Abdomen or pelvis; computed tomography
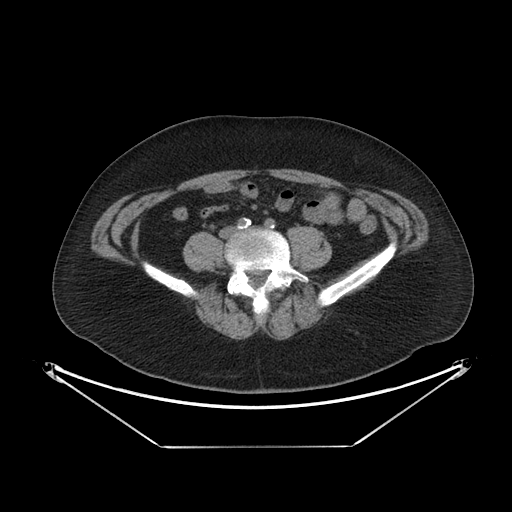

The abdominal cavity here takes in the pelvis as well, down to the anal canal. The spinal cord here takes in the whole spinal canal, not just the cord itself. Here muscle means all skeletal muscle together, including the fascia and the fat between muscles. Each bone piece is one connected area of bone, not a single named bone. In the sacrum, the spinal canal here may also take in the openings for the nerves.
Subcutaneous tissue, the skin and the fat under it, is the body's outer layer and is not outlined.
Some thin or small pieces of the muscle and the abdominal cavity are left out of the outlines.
{"bones":[{"outer":[[251,229],[269,229],[281,233],[289,245],[290,264],[308,277],[307,282],[295,279],[283,290],[276,288],[268,292],[266,294],[268,308],[261,315],[254,312],[251,297],[242,294],[230,294],[227,290],[227,282],[233,268],[226,260],[225,244],[235,233]],"hole":[[253,271],[268,271],[268,274],[267,275],[267,276],[266,277],[266,278],[265,279],[265,280],[264,281],[264,282],[261,285],[260,285],[259,286],[258,286],[257,287],[254,287],[250,283],[250,277],[248,275],[248,272],[252,272]]},[[394,241],[395,241],[397,244],[397,249],[393,257],[376,275],[371,277],[365,282],[347,292],[340,297],[334,303],[330,305],[321,306],[318,303],[317,301],[318,293],[321,289],[325,288],[331,284],[341,280],[363,265],[367,261],[381,251],[389,243]],[[143,260],[146,260],[151,264],[156,266],[158,268],[163,270],[165,272],[169,273],[171,275],[177,278],[180,278],[186,281],[197,291],[197,295],[196,297],[187,297],[178,292],[170,290],[163,284],[152,279],[144,271],[141,265],[141,261]]],"spinal_cord":[[[253,271],[268,271],[268,274],[267,275],[267,276],[266,277],[266,278],[265,279],[265,280],[264,281],[264,282],[261,285],[260,285],[259,286],[258,286],[257,287],[254,287],[250,283],[250,277],[248,275],[248,272],[252,272]]],"abdominal_cavity":[[[258,174],[362,198],[377,213],[387,244],[324,279],[310,272],[330,260],[332,246],[315,227],[291,226],[287,239],[274,229],[251,228],[224,244],[201,230],[189,236],[181,254],[188,268],[205,274],[192,278],[153,264],[138,247],[147,209],[182,191]]],"torso":[[[215,114],[325,118],[369,133],[411,159],[440,192],[470,255],[474,294],[460,330],[448,340],[424,346],[398,364],[365,378],[328,388],[269,394],[204,390],[153,378],[72,333],[56,313],[51,283],[59,247],[85,192],[104,168],[136,143],[172,124]]],"muscle":[[[294,226],[319,230],[331,246],[329,260],[309,272],[324,280],[377,253],[321,288],[316,301],[321,307],[334,304],[331,313],[289,340],[260,331],[241,340],[215,333],[193,316],[176,293],[196,298],[198,291],[157,266],[192,279],[205,275],[188,267],[182,250],[190,236],[207,232],[222,242],[232,268],[227,292],[251,298],[253,312],[261,316],[269,308],[268,293],[283,291],[295,280],[309,281],[290,262],[286,232]],[[254,168],[298,169],[336,180],[366,183],[394,191],[409,199],[423,212],[428,222],[428,239],[417,250],[394,259],[384,267],[394,257],[398,244],[395,240],[389,242],[388,234],[378,213],[362,197],[308,186],[268,173],[250,174],[205,188],[182,190],[147,208],[139,225],[137,237],[139,253],[151,262],[146,259],[140,261],[147,276],[135,266],[98,256],[92,251],[91,233],[102,213],[121,197],[151,186],[222,170]],[[383,268],[381,273],[373,281],[369,283],[365,288],[363,288],[360,290],[358,290],[351,295],[348,295],[347,296],[345,296],[338,301],[337,301],[340,298],[344,296],[347,293],[357,288],[362,284],[365,283],[371,278],[376,276],[381,271],[381,270]]]}